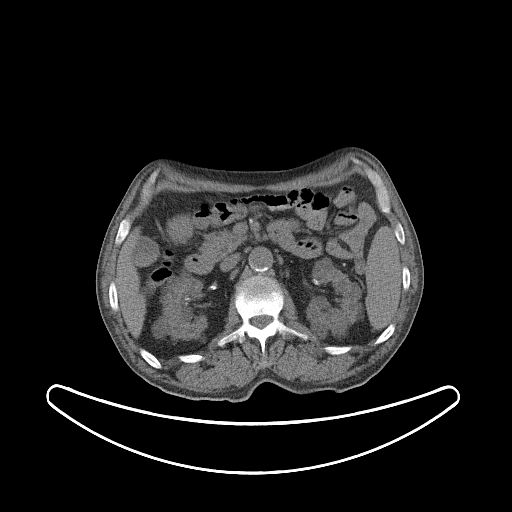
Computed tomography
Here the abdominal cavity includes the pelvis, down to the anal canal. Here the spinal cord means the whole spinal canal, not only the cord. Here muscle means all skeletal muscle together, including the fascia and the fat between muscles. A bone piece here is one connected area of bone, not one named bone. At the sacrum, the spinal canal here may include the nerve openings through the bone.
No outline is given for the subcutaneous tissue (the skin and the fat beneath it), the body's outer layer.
The torso is outlined by 345,145 364,148 383,164 412,221 423,259 419,307 407,336 385,366 364,384 342,392 296,394 263,382 247,399 237,402 187,399 136,375 121,357 100,315 95,272 108,224 137,172 163,156 220,169 286,169. The abdominal cavity is outlined by 357,173 373,186 401,259 399,305 376,338 352,345 322,342 298,320 287,289 274,277 259,273 235,288 223,330 205,349 158,358 132,337 119,309 116,258 132,222 152,196 164,191 238,193 330,186. The muscle is outlined by 348,152 357,152 368,157 382,171 397,199 398,204 407,222 407,225 410,231 414,245 415,262 418,269 417,289 413,295 413,299 411,301 410,307 407,312 405,320 402,324 401,330 391,348 381,358 378,359 373,364 364,368 356,374 331,383 301,382 298,379 291,381 281,377 273,371 267,369 266,370 260,370 247,384 242,387 238,388 234,386 231,386 222,391 205,393 204,392 197,392 166,382 163,382 158,379 151,377 141,370 134,363 128,352 123,346 122,342 115,331 115,328 111,321 111,318 107,313 107,309 103,302 103,294 101,288 101,277 103,273 102,262 106,246 109,241 111,230 126,199 130,194 135,184 142,175 152,167 157,166 159,164 166,164 173,167 176,170 187,174 189,176 199,177 213,181 225,182 232,184 247,184 248,185 274,184 278,182 290,180 293,178 299,177 312,172 316,172 332,163 341,155 with a hole at 353,157 381,178 390,202 390,212 384,214 393,229 401,224 405,236 399,253 410,284 401,290 391,319 395,328 386,340 374,344 374,338 353,344 344,353 327,353 323,348 328,344 298,320 294,301 281,284 284,299 278,319 305,333 306,340 276,333 266,339 264,354 259,341 248,336 218,346 219,339 242,323 234,293 223,330 197,352 204,359 190,363 177,356 160,357 161,368 155,368 142,357 142,346 120,310 110,306 109,285 116,282 119,224 128,215 132,222 144,206 140,193 154,170 159,170 148,201 164,191 238,193 330,186 357,173 366,175. The spinal cord is outlined by 261,315 266,315 267,316 269,316 270,317 271,317 271,321 268,324 267,324 264,327 263,327 262,328 258,328 257,327 256,327 254,325 253,325 251,323 251,319 253,317 254,317 255,316 260,316. The bones appear in 11 outlined pieces: piece 1: 257,274 274,278 279,283 284,299 278,319 286,326 305,333 308,336 306,340 290,333 276,333 266,339 264,354 259,341 248,336 242,342 233,340 222,347 218,346 219,339 242,323 234,302 236,288 245,279 with a hole at 261,315 266,315 267,316 269,316 270,317 271,317 271,321 268,324 267,324 264,327 263,327 262,328 258,328 257,327 256,327 254,325 253,325 251,323 251,319 253,317 254,317 255,316 260,316; piece 2: 353,157 357,158 366,166 374,170 381,178 389,196 389,201 390,202 390,212 389,213 384,213 380,209 377,201 376,192 375,191 374,186 367,177 364,171 363,166 355,163 352,160 352,158; piece 3: 128,215 131,221 131,225 129,228 129,231 128,233 125,236 124,239 121,242 121,243 119,245 117,245 115,244 115,237 116,236 116,234 117,233 117,231 119,227 119,224 120,222 126,216; piece 4: 156,169 158,169 159,170 158,171 158,173 156,176 155,181 150,187 149,192 146,198 146,200 147,201 145,203 145,204 143,205 141,203 140,203 140,193 142,190 142,188 143,187 144,183 146,181 150,174; piece 5: 111,281 114,281 114,282 115,283 115,285 116,286 116,290 117,291 117,303 118,304 118,310 117,310 116,311 114,311 111,308 111,307 110,306 110,303 109,302 109,285 110,284 110,282; piece 6: 140,348 144,348 146,350 147,350 149,352 150,352 153,355 154,355 158,359 158,360 160,362 160,363 161,364 161,368 155,368 154,367 153,367 151,365 150,365 142,357 142,356 140,354; piece 7: 390,323 393,323 395,325 395,328 394,329 394,331 393,332 393,333 386,340 385,340 384,341 383,341 378,344 374,344 374,343 375,342 375,340 378,337 378,336 379,336 380,335 380,334 388,326 388,325; piece 8: 347,345 350,345 351,346 351,348 348,351 347,351 346,352 345,352 344,353 341,353 340,354 330,354 329,353 327,353 323,349 323,348 324,347 325,347 326,346 346,346; piece 9: 181,354 199,354 200,355 202,355 204,357 204,359 203,359 202,360 201,360 200,361 198,361 197,362 193,362 192,363 190,363 189,362 184,362 183,361 181,361 178,358 178,356 179,355 180,355; piece 10: 403,266 406,266 408,268 408,269 409,270 409,272 410,273 410,284 409,285 409,287 408,288 408,289 407,290 404,290 403,289 403,286 402,285 402,267; piece 11: 397,222 399,222 401,224 401,225 403,228 403,230 404,231 404,235 405,236 405,242 403,244 401,244 398,241 398,240 397,239 397,238 396,237 396,236 394,233 394,227 395,226 395,225 397,223.